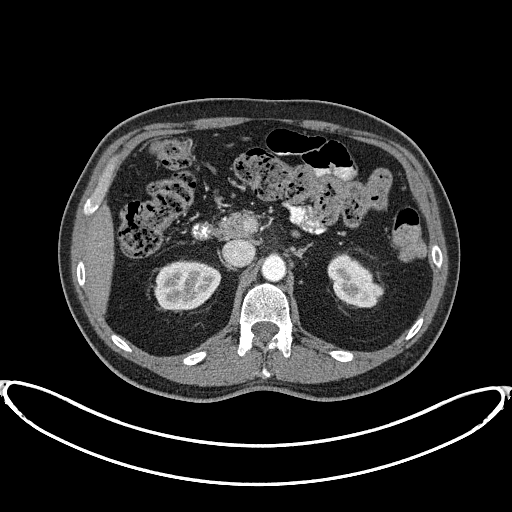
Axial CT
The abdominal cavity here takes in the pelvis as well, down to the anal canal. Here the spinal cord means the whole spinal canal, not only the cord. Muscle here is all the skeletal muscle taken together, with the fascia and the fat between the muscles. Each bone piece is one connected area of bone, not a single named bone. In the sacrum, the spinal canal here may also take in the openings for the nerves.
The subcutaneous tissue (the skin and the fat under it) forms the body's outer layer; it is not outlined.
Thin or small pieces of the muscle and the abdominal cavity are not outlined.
Outlines:
torso: [[192,402],[258,390],[314,401],[349,399],[398,381],[427,355],[453,304],[460,242],[445,190],[411,138],[388,122],[343,104],[259,98],[200,98],[160,105],[125,119],[102,138],[74,185],[60,222],[58,269],[67,305],[96,355],[119,377],[146,391]]
muscle: [[199,386],[231,385],[236,383],[241,383],[248,380],[252,380],[255,378],[264,380],[267,379],[263,379],[258,375],[263,365],[265,365],[271,373],[271,376],[269,378],[274,378],[280,381],[297,382],[298,383],[308,384],[309,383],[322,383],[328,381],[339,380],[363,373],[381,364],[390,358],[403,352],[419,339],[431,322],[437,309],[439,301],[442,296],[448,274],[448,256],[447,255],[447,248],[445,243],[445,238],[442,229],[439,208],[435,198],[433,188],[421,164],[409,150],[398,143],[377,134],[349,127],[345,127],[331,122],[326,122],[320,120],[310,120],[309,119],[298,120],[297,119],[288,119],[278,117],[230,117],[229,116],[228,117],[200,118],[183,122],[157,122],[152,123],[148,125],[138,127],[118,137],[106,147],[93,169],[90,176],[90,179],[77,206],[75,212],[75,217],[73,221],[73,227],[71,234],[71,244],[70,245],[70,261],[71,262],[70,265],[71,266],[71,277],[75,292],[82,306],[82,308],[88,318],[88,320],[96,333],[111,349],[123,357],[172,381]] with holes at [[339,361],[351,360],[353,350],[379,349],[407,329],[408,340],[423,322],[418,315],[431,285],[428,233],[392,155],[340,134],[251,121],[147,138],[122,162],[108,191],[116,158],[109,160],[83,206],[82,212],[94,217],[76,273],[115,332],[110,337],[117,346],[130,352],[126,339],[158,356],[189,352],[219,331],[238,303],[238,354],[256,345],[264,353],[276,348],[288,357],[294,299],[302,327],[340,347],[328,351]] and at [[188,365],[195,364],[196,363],[201,361],[205,357],[205,356],[206,355],[206,351],[203,350],[202,351],[199,351],[198,352],[191,353],[190,354],[188,354],[186,356],[183,357],[182,358],[182,362],[183,363],[184,363],[185,364],[187,364]] and at [[438,268],[440,268],[442,265],[442,254],[441,253],[441,251],[440,250],[440,248],[438,246],[438,245],[435,243],[434,244],[431,244],[430,245],[430,251],[431,252],[431,257],[432,258],[432,260],[433,261],[433,262],[435,264],[435,265]]
abdominal cavity: [[158,356],[198,346],[227,323],[247,290],[262,282],[280,287],[289,303],[295,300],[304,329],[342,349],[375,350],[397,338],[417,318],[431,285],[425,220],[400,163],[379,147],[277,121],[158,135],[139,143],[94,214],[84,263],[86,284],[107,323]]
spinal cord: [[262,341],[267,341],[268,340],[269,340],[269,339],[275,333],[276,333],[277,332],[277,331],[278,330],[278,327],[273,323],[271,323],[270,322],[258,322],[257,323],[254,324],[252,326],[252,331],[255,335],[255,338],[256,339],[257,338]]
bones 1: [[285,357],[289,356],[293,339],[292,323],[290,318],[290,308],[288,300],[283,291],[277,286],[269,283],[257,284],[249,289],[243,298],[239,317],[240,326],[237,352],[239,355],[243,355],[253,345],[256,345],[264,353],[268,350],[276,348],[280,350]] with a hole at [[262,341],[267,341],[268,340],[269,340],[269,339],[275,333],[276,333],[277,332],[277,331],[278,330],[278,327],[273,323],[271,323],[270,322],[258,322],[257,323],[254,324],[252,326],[252,331],[255,335],[255,338],[256,339],[257,338]]
bones 2: [[85,215],[90,215],[92,214],[99,206],[99,204],[101,202],[101,200],[107,190],[108,187],[108,180],[111,171],[113,169],[116,156],[112,157],[106,164],[101,175],[99,177],[98,183],[94,191],[91,195],[87,198],[84,203],[82,212]]
bones 3: [[339,361],[349,361],[350,360],[351,360],[354,357],[354,354],[353,353],[353,352],[352,351],[350,351],[349,350],[342,350],[341,349],[340,349],[339,350],[330,350],[329,351],[328,351],[328,353],[334,359],[336,359],[337,360],[338,360]]
bones 4: [[188,365],[195,364],[196,363],[201,361],[205,357],[205,356],[206,355],[206,351],[203,350],[202,351],[199,351],[198,352],[191,353],[190,354],[188,354],[186,356],[183,357],[182,358],[182,362],[183,363],[184,363],[185,364],[187,364]]
bones 5: [[438,268],[440,268],[442,265],[442,254],[441,253],[441,251],[440,250],[440,248],[438,246],[438,245],[435,243],[434,244],[431,244],[430,245],[430,251],[431,252],[431,257],[432,258],[432,260],[433,261],[433,262],[435,264],[435,265]]
bones 6: [[81,287],[84,287],[84,284],[85,283],[85,269],[84,268],[84,264],[83,263],[83,261],[82,260],[79,260],[78,261],[78,263],[77,264],[77,268],[76,269],[76,273],[77,274],[77,280],[78,281],[78,283],[79,284],[79,285]]
bones 7: [[128,352],[130,352],[132,350],[131,349],[131,348],[126,343],[126,342],[117,334],[116,334],[115,333],[112,333],[111,334],[110,337],[111,338],[111,339],[113,341],[113,342],[117,346],[118,346],[123,350],[124,350],[125,351],[127,351]]
bones 8: [[406,340],[408,340],[411,337],[412,337],[418,331],[418,330],[420,328],[420,327],[423,322],[423,317],[422,316],[420,316],[419,317],[418,317],[418,318],[415,321],[415,322],[409,329],[409,330],[408,331],[408,332],[405,337],[405,339]]
bones 9: [[263,378],[268,378],[270,376],[270,373],[268,371],[268,370],[266,368],[266,367],[265,366],[263,366],[263,367],[262,368],[262,369],[261,370],[261,371],[260,372],[260,373],[259,374],[259,375],[261,377],[262,377]]